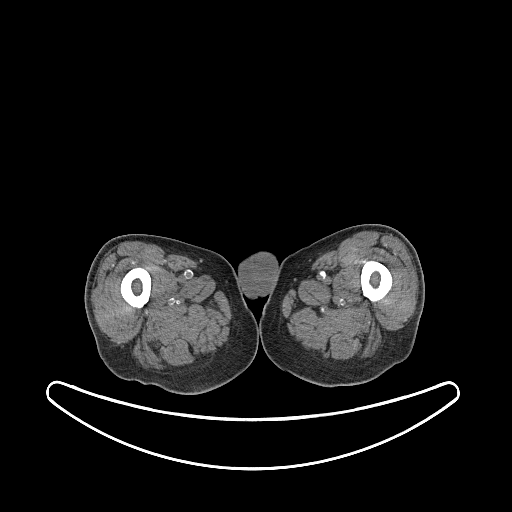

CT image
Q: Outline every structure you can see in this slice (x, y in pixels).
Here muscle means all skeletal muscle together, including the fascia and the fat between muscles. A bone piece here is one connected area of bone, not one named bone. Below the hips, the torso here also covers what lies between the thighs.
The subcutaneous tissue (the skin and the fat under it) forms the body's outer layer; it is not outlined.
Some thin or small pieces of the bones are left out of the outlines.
A: Outlines:
bones 1: (363, 260) (374, 260) (375, 261) (378, 261) (384, 264) (388, 268) (391, 274) (392, 277) (392, 284) (391, 285) (391, 288) (382, 298) (377, 301) (371, 301) (368, 298) (364, 296) (362, 293) (362, 289) (360, 283) (360, 274) (363, 265) (362, 262)
bones 2: (134, 267) (142, 267) (143, 268) (145, 268) (147, 270) (151, 277) (151, 289) (150, 290) (150, 295) (149, 296) (149, 299) (148, 301) (142, 307) (140, 308) (134, 307) (130, 305) (122, 297) (122, 295) (120, 291) (120, 284) (121, 283) (122, 278) (129, 270) (130, 270)
muscle 1: (135, 240) (153, 243) (169, 253) (186, 255) (198, 261) (203, 271) (210, 275) (225, 293) (232, 313) (228, 340) (207, 365) (186, 372) (174, 373) (158, 373) (144, 369) (127, 351) (113, 347) (100, 330) (95, 321) (91, 302) (91, 292) (99, 263) (112, 247) (123, 241) with a hole at (134, 267) (142, 267) (143, 268) (145, 268) (147, 270) (151, 277) (151, 289) (150, 290) (150, 295) (149, 296) (149, 299) (148, 301) (142, 307) (140, 308) (134, 307) (130, 305) (122, 297) (122, 295) (120, 291) (120, 284) (121, 283) (122, 278) (129, 270) (130, 270)
muscle 2: (364, 230) (396, 235) (411, 251) (419, 283) (418, 299) (414, 312) (405, 326) (389, 338) (386, 346) (371, 361) (361, 365) (330, 367) (315, 359) (309, 351) (290, 340) (284, 319) (282, 318) (281, 303) (287, 291) (302, 277) (320, 254) (335, 248) (342, 240) (356, 231) with a hole at (363, 260) (374, 260) (375, 261) (378, 261) (384, 264) (388, 268) (391, 274) (392, 277) (392, 284) (391, 285) (391, 288) (382, 298) (377, 301) (371, 301) (368, 298) (364, 296) (362, 293) (362, 289) (360, 283) (360, 274) (363, 265) (362, 262)
left leg: (358, 224) (384, 224) (393, 227) (411, 242) (417, 252) (423, 271) (425, 283) (423, 310) (413, 348) (405, 360) (394, 365) (378, 377) (364, 383) (335, 387) (322, 386) (281, 370) (267, 357) (259, 341) (259, 319) (281, 269) (281, 261) (285, 257) (331, 233)
right leg: (134, 233) (165, 236) (213, 250) (222, 255) (235, 269) (243, 299) (258, 321) (259, 342) (252, 362) (238, 376) (209, 391) (195, 394) (179, 394) (155, 385) (121, 379) (106, 367) (98, 354) (94, 336) (86, 316) (84, 306) (86, 277) (95, 255) (105, 242) (116, 236)
torso: (258, 250) (268, 250) (274, 253) (276, 255) (277, 259) (280, 262) (280, 269) (273, 283) (270, 294) (267, 298) (264, 296) (252, 300) (246, 297) (245, 298) (245, 301) (243, 296) (243, 293) (239, 285) (238, 277) (236, 272) (236, 268) (238, 265) (238, 263) (244, 257)